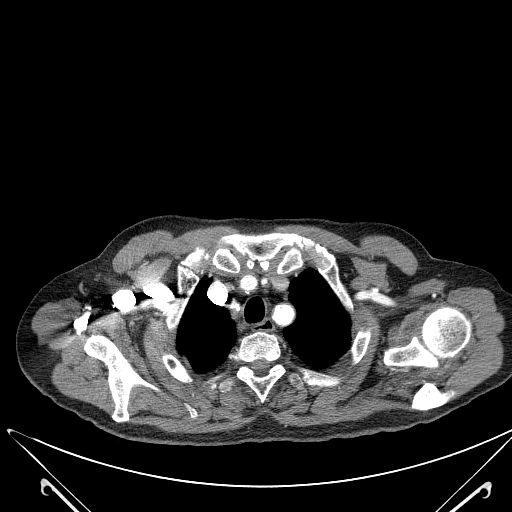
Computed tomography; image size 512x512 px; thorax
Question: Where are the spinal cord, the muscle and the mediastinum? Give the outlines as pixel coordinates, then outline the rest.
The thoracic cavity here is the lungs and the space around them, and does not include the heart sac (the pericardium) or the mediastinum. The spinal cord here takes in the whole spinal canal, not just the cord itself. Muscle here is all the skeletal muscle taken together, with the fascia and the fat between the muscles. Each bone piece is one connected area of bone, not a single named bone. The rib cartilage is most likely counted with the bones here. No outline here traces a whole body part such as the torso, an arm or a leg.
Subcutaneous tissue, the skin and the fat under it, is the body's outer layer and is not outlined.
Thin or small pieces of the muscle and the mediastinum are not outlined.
Answer: {"spinal_cord":[[[260,359],[264,359],[270,363],[270,366],[269,367],[269,368],[268,369],[267,372],[264,375],[257,375],[256,374],[255,374],[254,371],[251,368],[251,367],[250,366],[250,364],[252,362],[253,362],[256,360],[259,360]]],"muscle":[{"outer":[[284,224],[319,226],[353,242],[389,235],[418,261],[413,277],[402,276],[408,284],[436,279],[445,292],[490,290],[506,322],[496,373],[458,397],[424,379],[410,401],[414,410],[312,426],[259,417],[204,433],[127,422],[134,387],[162,391],[102,333],[86,337],[82,348],[107,368],[109,415],[51,383],[52,363],[32,317],[46,302],[68,297],[96,306],[110,293],[113,257],[133,236],[160,228],[179,234],[200,226]],"holes":[[[252,232],[296,233],[312,239],[335,257],[340,279],[353,304],[351,338],[361,328],[371,327],[367,349],[356,364],[352,365],[347,355],[323,371],[340,376],[339,384],[305,384],[298,389],[285,374],[261,403],[256,393],[236,378],[226,392],[203,384],[223,370],[228,360],[211,374],[192,374],[192,382],[178,380],[164,366],[163,352],[176,357],[178,353],[166,321],[179,304],[177,265],[196,246],[212,253],[220,236]],[[442,306],[457,307],[469,319],[472,325],[472,331],[471,337],[468,343],[453,357],[442,359],[439,365],[434,368],[423,366],[395,366],[394,367],[386,366],[383,362],[384,351],[390,347],[406,345],[414,335],[417,335],[420,332],[421,326],[428,314]],[[184,403],[187,403],[189,405],[190,405],[193,408],[194,408],[196,410],[196,411],[197,412],[197,416],[195,418],[192,418],[190,416],[190,414],[189,413],[189,412],[187,410],[187,409],[185,407],[185,406],[184,405]]]}],"mediastinum":[[[239,255],[248,258],[245,262],[248,269],[257,262],[266,272],[269,262],[278,255],[281,259],[276,273],[303,269],[289,281],[288,300],[296,315],[283,328],[284,339],[261,329],[238,337],[229,311],[208,298],[212,279],[201,276],[208,269],[238,273]]],"thoracic_cavity":[[[308,267],[314,268],[323,278],[351,319],[351,344],[349,348],[338,361],[323,371],[316,370],[302,364],[293,362],[288,355],[288,345],[283,335],[284,328],[292,324],[295,321],[297,315],[296,308],[289,300],[290,281],[293,278],[295,278],[305,268]],[[203,277],[208,277],[211,279],[205,293],[207,298],[213,304],[225,308],[228,311],[230,318],[235,324],[237,337],[239,338],[237,344],[228,353],[228,360],[223,365],[211,374],[196,375],[192,374],[178,358],[175,337],[187,301],[192,297],[195,287]]],"bones":[[[252,232],[296,233],[326,248],[352,300],[352,318],[313,259],[301,269],[278,273],[279,254],[266,271],[257,261],[248,268],[249,258],[239,254],[238,272],[208,268],[200,276],[174,336],[166,319],[179,304],[177,265],[196,246],[212,253],[220,236]],{"outer":[[257,330],[275,334],[284,340],[287,355],[293,363],[340,376],[341,381],[330,387],[305,384],[298,389],[285,374],[273,384],[263,403],[245,382],[236,378],[229,391],[221,392],[217,388],[211,390],[203,384],[204,381],[227,366],[228,355],[240,338]],"hole":[[260,359],[264,359],[270,363],[270,366],[269,367],[269,368],[268,369],[267,372],[264,375],[257,375],[256,374],[255,374],[254,371],[251,368],[251,367],[250,366],[250,364],[252,362],[253,362],[256,360],[259,360]]},[[442,306],[457,307],[469,319],[472,325],[472,331],[471,337],[468,343],[453,357],[442,359],[439,365],[434,368],[423,366],[395,366],[394,367],[386,366],[383,362],[384,351],[390,347],[406,345],[414,335],[417,335],[420,332],[421,326],[428,314]],[[93,334],[102,334],[109,338],[135,371],[161,391],[156,391],[143,385],[134,386],[130,391],[127,407],[130,416],[126,422],[117,422],[110,416],[114,408],[114,403],[107,381],[107,366],[101,360],[88,355],[84,351],[83,346],[86,338]],[[424,380],[428,382],[432,382],[434,383],[441,391],[446,391],[452,389],[456,391],[459,394],[455,398],[437,407],[434,407],[422,411],[412,409],[411,408],[411,401],[413,395],[415,391],[422,384],[422,382]],[[367,327],[371,327],[371,336],[370,337],[369,343],[367,346],[367,349],[361,359],[356,364],[352,365],[351,364],[351,357],[349,355],[346,356],[344,356],[344,355],[350,348],[352,344],[352,339],[356,335],[357,332],[361,328],[364,328],[365,329]],[[163,352],[166,352],[167,353],[170,353],[174,356],[175,356],[179,360],[179,361],[185,367],[185,368],[193,377],[193,381],[192,382],[182,382],[181,381],[178,380],[176,378],[173,377],[168,372],[168,371],[164,366],[164,365],[161,360],[161,355]],[[184,403],[187,403],[189,405],[190,405],[193,408],[194,408],[196,410],[196,411],[197,412],[197,416],[195,418],[192,418],[190,416],[190,414],[189,413],[189,412],[187,410],[187,409],[185,407],[185,406],[184,405]]]}